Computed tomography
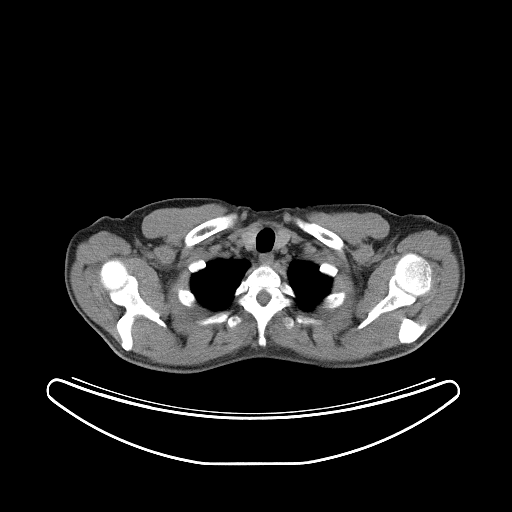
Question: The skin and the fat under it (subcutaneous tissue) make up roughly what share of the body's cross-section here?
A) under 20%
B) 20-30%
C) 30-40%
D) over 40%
Answer: A) under 20%
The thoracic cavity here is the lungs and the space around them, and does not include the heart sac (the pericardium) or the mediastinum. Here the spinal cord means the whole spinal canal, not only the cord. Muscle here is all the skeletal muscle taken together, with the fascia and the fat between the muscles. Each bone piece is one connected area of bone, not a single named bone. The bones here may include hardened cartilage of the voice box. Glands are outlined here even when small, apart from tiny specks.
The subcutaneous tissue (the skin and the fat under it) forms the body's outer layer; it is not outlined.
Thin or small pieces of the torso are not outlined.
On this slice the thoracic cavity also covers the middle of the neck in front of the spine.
Outlined structures:
torso: 174 197; 220 198; 255 210; 326 203; 368 203; 386 208; 397 214; 382 253; 387 280; 418 306; 454 312; 414 351; 361 367; 328 369; 252 358; 181 374; 132 364; 119 357; 73 306; 100 300; 130 281; 136 248; 121 217; 135 208
thyroid glands 1: 253 225; 257 225; 258 226; 258 230; 255 236; 255 242; 254 243; 254 247; 252 250; 247 250; 242 240; 241 235; 242 233; 245 230; 246 230; 250 226; 252 226
thyroid glands 2: 279 228; 281 228; 282 229; 285 230; 287 232; 288 232; 288 233; 289 234; 289 239; 288 240; 287 243; 284 246; 281 247; 279 249; 276 249; 276 248; 275 247; 275 240; 276 239; 276 231
left arm: 407 213; 425 214; 435 220; 451 225; 457 232; 461 242; 464 256; 464 261; 465 262; 465 283; 460 301; 456 309; 454 310; 441 311; 418 305; 404 297; 392 285; 386 276; 383 266; 383 253; 388 232; 392 222; 398 214; 403 215
bones 1: 262 264; 267 264; 277 271; 280 268; 283 268; 286 272; 285 280; 295 294; 293 303; 275 313; 268 321; 264 330; 264 336; 266 340; 264 347; 258 344; 257 321; 250 313; 240 306; 234 298; 235 290; 246 276; 247 271 with a hole at 262 290; 264 290; 266 292; 267 292; 269 294; 269 295; 270 296; 270 297; 269 298; 269 300; 264 305; 262 305; 261 304; 260 304; 258 302; 258 301; 257 300; 257 295; 258 294; 258 293; 260 291; 261 291
bones 2: 112 258; 118 258; 123 262; 127 271; 137 280; 139 295; 159 313; 166 324; 165 328; 142 315; 137 315; 131 327; 133 344; 129 351; 121 346; 121 339; 116 328; 117 321; 125 308; 111 300; 109 292; 100 281; 99 273; 102 264
bones 3: 408 252; 412 252; 421 256; 431 266; 432 280; 433 281; 431 288; 427 293; 419 296; 413 303; 406 306; 399 307; 391 311; 384 312; 362 328; 357 329; 357 326; 366 318; 368 312; 388 293; 389 280; 394 272; 395 264; 404 254
bones 4: 231 212; 234 212; 237 214; 237 219; 234 225; 232 227; 218 231; 206 237; 204 239; 201 240; 199 242; 193 245; 187 246; 185 244; 184 239; 186 235; 190 230; 207 220; 209 220; 212 218; 217 217; 220 215; 227 214
bones 5: 296 217; 299 217; 301 219; 308 222; 313 222; 314 223; 316 223; 318 225; 324 228; 326 228; 328 230; 335 233; 344 243; 344 245; 342 249; 341 250; 338 250; 337 249; 332 248; 322 242; 316 237; 301 229; 295 223; 295 218
bones 6: 402 317; 406 317; 409 319; 411 319; 414 321; 416 321; 420 323; 422 322; 426 322; 427 323; 427 327; 425 329; 425 330; 414 341; 410 343; 400 343; 398 339; 398 330; 399 329; 399 326; 400 325; 400 323; 401 322; 401 318
bones 7: 226 310; 229 310; 232 314; 237 314; 239 315; 242 319; 239 323; 233 327; 229 327; 225 321; 220 323; 213 323; 207 325; 200 325; 198 324; 197 322; 197 321; 200 319; 203 319; 209 317; 220 311; 225 311
bones 8: 340 291; 344 291; 346 293; 346 297; 342 304; 341 304; 339 306; 338 306; 337 307; 334 307; 333 308; 330 308; 329 307; 324 307; 322 305; 322 303; 321 302; 324 297; 325 297; 328 294; 329 294; 331 292; 339 292
bones 9: 297 315; 301 315; 302 316; 305 316; 306 317; 311 317; 312 318; 319 320; 320 322; 316 324; 303 324; 302 323; 295 322; 292 327; 290 328; 287 328; 285 326; 284 322; 283 321; 284 317; 286 316; 289 316; 293 318
bones 10: 177 288; 182 288; 183 289; 189 289; 191 291; 191 292; 195 296; 195 297; 196 298; 196 302; 195 303; 195 304; 193 306; 187 306; 186 305; 184 305; 183 304; 182 304; 179 301; 179 300; 178 299; 178 297; 177 296
bones 11: 324 262; 326 262; 327 263; 329 263; 330 264; 332 264; 333 265; 334 265; 337 268; 337 273; 333 277; 331 277; 328 275; 326 275; 325 274; 324 274; 323 273; 320 272; 320 271; 319 270; 319 266; 322 263; 323 263
bones 12: 200 259; 202 259; 206 263; 206 264; 205 265; 205 267; 204 268; 203 268; 202 269; 201 269; 200 270; 199 270; 196 272; 194 272; 193 273; 191 273; 189 271; 189 270; 188 269; 188 265; 190 263; 191 263; 194 261; 197 261
thoracic cavity: 262 224; 277 228; 276 250; 290 236; 298 238; 307 259; 332 278; 330 292; 311 309; 303 309; 294 300; 286 270; 262 263; 246 271; 226 308; 213 310; 197 301; 190 289; 192 274; 216 258; 229 239; 240 236; 245 249; 252 251
muscle: 210 203; 259 216; 374 212; 389 223; 388 236; 401 240; 424 229; 445 233; 459 268; 455 296; 428 326; 402 316; 401 344; 360 359; 319 360; 265 347; 266 327; 278 312; 294 302; 306 311; 320 303; 337 308; 347 293; 331 291; 338 268; 308 259; 298 237; 253 224; 229 238; 216 257; 190 262; 189 288; 177 287; 176 296; 184 306; 198 302; 219 311; 198 325; 225 322; 229 328; 243 319; 223 310; 234 299; 256 321; 259 347; 195 365; 154 362; 131 351; 137 316; 167 328; 140 295; 137 278; 118 257; 99 269; 110 300; 124 308; 115 324; 120 345; 75 296; 70 269; 76 247; 102 230; 132 244; 153 210; inner edges: 408 252; 412 252; 421 256; 431 266; 432 280; 433 281; 431 288; 427 293; 419 296; 413 303; 406 306; 399 307; 391 311; 384 312; 362 328; 357 329; 357 326; 366 318; 368 312; 388 293; 389 280; 394 272; 395 264; 404 254, then 231 212; 234 212; 237 214; 237 219; 234 225; 232 227; 218 231; 206 237; 204 239; 201 240; 199 242; 193 245; 187 246; 185 244; 184 239; 186 235; 190 230; 207 220; 209 220; 212 218; 217 217; 220 215; 227 214, then 296 217; 299 217; 301 219; 308 222; 313 222; 314 223; 316 223; 318 225; 324 228; 326 228; 328 230; 335 233; 344 243; 344 245; 342 249; 341 250; 338 250; 337 249; 332 248; 322 242; 316 237; 301 229; 295 223; 295 218, then 297 315; 301 315; 302 316; 305 316; 306 317; 311 317; 312 318; 319 320; 320 322; 316 324; 303 324; 302 323; 295 322; 292 327; 290 328; 287 328; 285 326; 284 322; 283 321; 284 317; 286 316; 289 316; 293 318
right arm: 105 215; 108 215; 112 217; 120 217; 125 223; 131 234; 135 248; 135 266; 133 273; 129 281; 122 288; 95 301; 72 305; 66 291; 66 288; 64 283; 64 275; 63 274; 65 253; 68 243; 72 235; 77 230; 91 224; 98 218
spinal cord: 262 290; 264 290; 266 292; 267 292; 269 294; 269 295; 270 296; 270 297; 269 298; 269 300; 264 305; 262 305; 261 304; 260 304; 258 302; 258 301; 257 300; 257 295; 258 294; 258 293; 260 291; 261 291